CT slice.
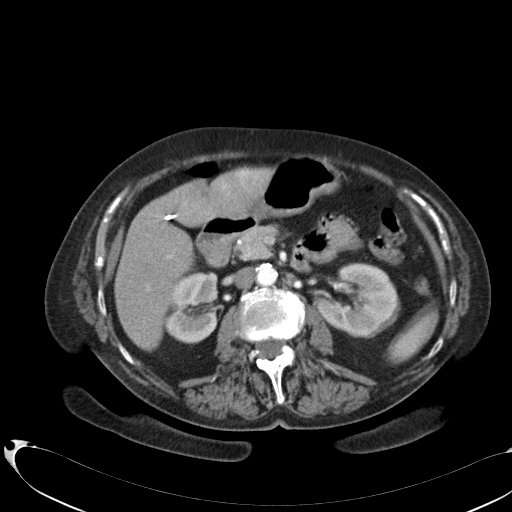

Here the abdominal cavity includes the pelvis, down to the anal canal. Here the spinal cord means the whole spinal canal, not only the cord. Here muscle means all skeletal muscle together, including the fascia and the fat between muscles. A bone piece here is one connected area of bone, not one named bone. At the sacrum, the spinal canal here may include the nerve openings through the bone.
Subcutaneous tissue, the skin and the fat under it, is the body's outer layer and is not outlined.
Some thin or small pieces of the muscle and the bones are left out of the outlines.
Outlined structures:
bones 1: 260,289 291,289 300,296 305,305 303,329 289,341 295,352 295,358 292,365 286,366 282,372 281,385 285,396 282,404 276,402 276,395 268,375 257,367 254,360 249,359 252,344 235,331 238,301 248,292 with a hole at 270,338 272,338 273,339 276,339 277,340 283,340 284,341 283,344 280,348 281,353 276,355 272,359 269,359 266,357 261,357 259,356 260,351 256,347 256,342 258,342 259,341 262,341 263,340 267,340
bones 2: 126,189 128,190 126,195 119,204 113,215 113,217 108,224 109,227 107,230 105,238 104,265 100,270 98,270 94,266 94,261 96,257 96,235 98,227 100,224 100,221 106,208 113,199 119,193
bones 3: 404,188 415,192 426,200 436,211 440,217 447,232 447,237 449,241 450,252 448,255 444,252 442,248 442,246 440,243 440,240 438,237 437,230 433,222 425,212 423,211 413,200 402,193 402,189
bones 4: 99,286 101,286 103,289 103,296 104,297 104,302 105,303 105,308 106,309 106,315 105,316 103,316 101,314 101,313 100,312 100,311 98,308 98,305 97,304 97,291 98,290 98,288 99,287
bones 5: 452,279 455,279 455,280 456,281 456,282 457,283 457,288 456,289 456,297 455,298 455,303 454,304 454,305 452,307 451,307 450,306 450,305 449,304 449,284 450,283 450,281
bones 6: 439,337 442,337 443,338 443,344 442,345 440,350 435,355 434,355 431,358 429,358 428,359 426,359 425,358 425,356 428,353 428,352 430,350 430,349 432,347 432,346 434,344 434,343 436,341 436,340
bones 7: 119,342 120,342 123,345 123,346 130,354 130,355 132,357 132,358 134,360 134,361 135,362 135,363 134,364 131,364 130,363 129,363 123,357 123,356 120,353 120,352 118,349 118,347 117,346 117,345
spinal cord: 270,338 272,338 273,339 276,339 277,340 283,340 284,341 283,344 280,348 281,353 276,355 272,359 269,359 266,357 261,357 259,356 260,351 256,347 256,342 258,342 259,341 262,341 263,340 267,340
muscle: 274,148 340,156 429,193 451,217 468,256 469,306 442,347 444,338 439,336 448,302 435,255 391,186 357,168 307,155 249,155 203,159 169,171 141,187 130,207 109,286 116,346 129,364 136,363 133,357 173,386 212,374 220,362 215,349 222,319 236,306 234,331 251,344 248,359 267,375 275,402 282,405 286,399 283,372 296,358 290,341 306,323 301,298 331,334 333,349 328,359 354,372 388,380 423,356 428,360 437,354 428,375 334,417 305,418 277,406 255,420 208,418 148,389 120,368 112,349 78,311 73,275 98,209 120,184 196,154; inner edges: 126,189 128,190 126,195 119,204 113,215 113,217 108,224 109,227 107,230 105,238 104,265 100,270 98,270 94,266 94,261 96,257 96,235 98,227 100,224 100,221 106,208 113,199 119,193, then 404,188 415,192 426,200 436,211 440,217 447,232 447,237 449,241 450,252 448,255 444,252 442,248 442,246 440,243 440,240 438,237 437,230 433,222 425,212 423,211 413,200 402,193 402,189, then 99,286 101,286 103,289 103,296 104,297 104,302 105,303 105,308 106,309 106,315 105,316 103,316 101,314 101,313 100,312 100,311 98,308 98,305 97,304 97,291 98,290 98,288 99,287, then 452,279 455,279 455,280 456,281 456,282 457,283 457,288 456,289 456,297 455,298 455,303 454,304 454,305 452,307 451,307 450,306 450,305 449,304 449,284 450,283 450,281
torso: 209,125 331,132 389,150 426,173 468,219 486,258 490,317 475,349 370,418 325,429 278,425 240,432 204,428 167,415 132,394 87,349 81,357 64,351 48,329 44,292 73,217 99,182 128,156 166,135
abdominal cavity: 249,156 320,158 390,186 434,255 447,302 442,328 427,353 388,379 374,379 329,359 332,334 297,292 260,288 223,315 214,349 219,362 212,373 173,385 131,355 110,316 110,286 126,217 141,188 198,161